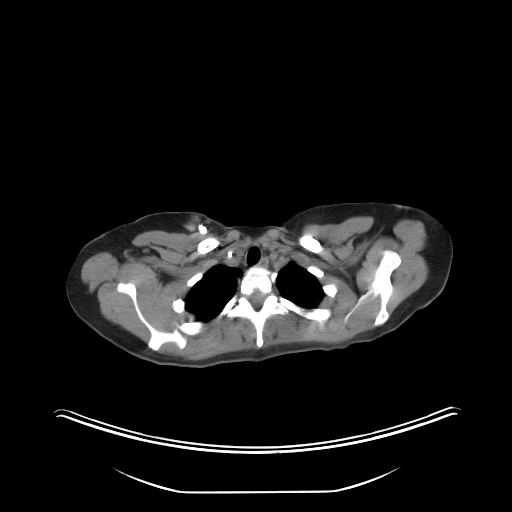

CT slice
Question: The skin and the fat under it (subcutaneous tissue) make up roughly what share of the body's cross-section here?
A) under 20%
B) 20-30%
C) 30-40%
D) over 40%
Answer: B) 20-30%
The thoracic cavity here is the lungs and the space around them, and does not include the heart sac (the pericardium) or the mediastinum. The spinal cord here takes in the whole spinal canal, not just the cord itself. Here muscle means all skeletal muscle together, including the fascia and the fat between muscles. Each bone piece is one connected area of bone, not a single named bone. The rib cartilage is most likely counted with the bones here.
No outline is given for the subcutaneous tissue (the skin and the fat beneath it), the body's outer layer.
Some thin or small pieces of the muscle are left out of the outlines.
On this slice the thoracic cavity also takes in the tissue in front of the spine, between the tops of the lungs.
The left arm is outlined by (386, 202) (388, 203) (397, 203) (398, 204) (403, 204) (404, 205) (411, 205) (412, 206) (419, 207) (435, 217) (445, 226) (450, 233) (453, 242) (453, 250) (441, 254) (425, 254) (424, 253) (415, 251) (402, 243) (394, 235) (389, 226) (389, 223) (385, 211) (385, 205). The torso is outlined by (362, 201) (385, 202) (391, 232) (409, 249) (425, 255) (453, 251) (441, 293) (397, 329) (370, 342) (341, 350) (205, 368) (158, 365) (104, 339) (78, 318) (66, 296) (69, 269) (89, 240) (150, 213) (194, 210) (226, 225) (278, 225) (291, 214) (314, 205). The muscle is outlined by (353, 216) (372, 216) (371, 230) (380, 232) (401, 219) (420, 220) (429, 275) (390, 316) (391, 275) (402, 258) (382, 250) (366, 291) (343, 317) (346, 323) (363, 303) (378, 297) (376, 327) (341, 343) (282, 344) (257, 350) (228, 352) (201, 360) (157, 351) (166, 343) (182, 350) (186, 336) (200, 333) (213, 318) (248, 320) (254, 328) (255, 345) (258, 349) (260, 349) (264, 344) (266, 321) (274, 315) (293, 312) (323, 326) (332, 310) (318, 304) (325, 295) (333, 298) (338, 287) (321, 284) (321, 268) (304, 267) (279, 247) (232, 247) (204, 273) (189, 277) (185, 297) (175, 298) (171, 308) (192, 314) (170, 331) (146, 319) (133, 282) (119, 281) (116, 290) (131, 299) (149, 332) (146, 344) (105, 319) (81, 283) (86, 259) (106, 251) (119, 260) (144, 231) (235, 229) (257, 236), around holes outlined by (303, 233) (309, 233) (315, 239) (316, 239) (320, 243) (320, 244) (322, 246) (322, 250) (319, 253) (316, 253) (315, 252) (313, 252) (312, 251) (310, 251) (309, 250) (308, 250) (307, 249) (304, 248) (301, 245) (300, 245) (299, 244) (299, 243) (298, 242) (298, 238) and by (215, 238) (217, 238) (219, 241) (219, 244) (215, 248) (203, 254) (201, 253) (199, 253) (198, 252) (197, 250) (197, 246) (198, 244) (201, 241) (203, 241) (204, 240) (207, 240) (208, 239) (214, 239). The bones appear in 9 outlined pieces: piece 1: (252, 266) (260, 266) (277, 273) (273, 286) (281, 296) (307, 309) (329, 308) (331, 315) (320, 325) (293, 311) (284, 315) (274, 314) (265, 321) (262, 331) (263, 344) (258, 348) (255, 328) (248, 319) (231, 319) (223, 316) (214, 320) (238, 290) (238, 280) (244, 271) with a hole at (256, 290) (257, 291) (258, 291) (259, 292) (260, 292) (264, 296) (264, 299) (263, 300) (263, 302) (262, 303) (262, 305) (258, 309) (255, 309) (253, 307) (253, 306) (251, 304) (251, 303) (250, 302) (250, 301) (249, 300) (249, 299) (248, 298); piece 2: (384, 250) (392, 250) (401, 258) (400, 264) (390, 275) (393, 292) (386, 304) (389, 314) (388, 319) (379, 326) (374, 325) (375, 317) (380, 308) (380, 298) (377, 296) (363, 302) (344, 322) (346, 314) (353, 308) (360, 296) (367, 291) (374, 271) (382, 257) (382, 251); piece 3: (119, 282) (131, 282) (135, 285) (140, 311) (156, 329) (170, 332) (177, 324) (187, 321) (193, 315) (195, 320) (204, 322) (202, 330) (186, 335) (186, 345) (182, 349) (174, 342) (166, 342) (156, 351) (151, 349) (147, 345) (150, 332) (138, 317) (132, 299) (117, 290); piece 4: (303, 233) (309, 233) (315, 239) (316, 239) (320, 243) (320, 244) (322, 246) (322, 250) (319, 253) (316, 253) (315, 252) (313, 252) (312, 251) (310, 251) (309, 250) (308, 250) (307, 249) (304, 248) (301, 245) (300, 245) (299, 244) (299, 243) (298, 242) (298, 238); piece 5: (215, 238) (217, 238) (219, 241) (219, 244) (215, 248) (203, 254) (201, 253) (199, 253) (198, 252) (197, 250) (197, 246) (198, 244) (201, 241) (203, 241) (204, 240) (207, 240) (208, 239) (214, 239); piece 6: (328, 283) (332, 283) (333, 284) (334, 284) (337, 287) (337, 291) (336, 292) (336, 293) (335, 294) (335, 295) (333, 297) (330, 297) (329, 296) (328, 296) (327, 295) (326, 295) (324, 293) (324, 292) (323, 291) (323, 290) (322, 289) (322, 285) (323, 284) (327, 284); piece 7: (177, 298) (180, 298) (181, 299) (182, 299) (184, 301) (184, 303) (185, 304) (184, 305) (184, 307) (185, 308) (185, 312) (184, 312) (183, 313) (178, 313) (177, 312) (176, 312) (175, 311) (174, 311) (173, 310) (173, 309) (172, 308) (172, 302) (175, 299) (176, 299); piece 8: (308, 266) (315, 266) (316, 267) (317, 267) (318, 268) (321, 269) (323, 271) (323, 273) (324, 274) (323, 275) (323, 277) (320, 280) (320, 281) (319, 281) (318, 280) (318, 279) (314, 275) (313, 275) (310, 272) (309, 272) (307, 270) (307, 269) (306, 268); piece 9: (198, 272) (202, 272) (203, 273) (203, 274) (202, 275) (202, 277) (198, 281) (197, 281) (190, 288) (189, 288) (186, 285) (186, 282) (187, 281) (187, 280) (189, 278) (190, 278) (193, 275) (194, 275) (196, 273) (197, 273). The thoracic cavity is outlined by (253, 244) (279, 248) (287, 255) (288, 260) (294, 261) (314, 276) (324, 294) (317, 306) (307, 308) (281, 295) (274, 286) (278, 273) (260, 265) (252, 265) (243, 271) (237, 280) (237, 290) (214, 317) (207, 321) (195, 319) (185, 307) (184, 299) (189, 290) (228, 250). The spinal cord is outlined by (256, 290) (257, 291) (258, 291) (259, 292) (260, 292) (264, 296) (264, 299) (263, 300) (263, 302) (262, 303) (262, 305) (258, 309) (255, 309) (253, 307) (253, 306) (251, 304) (251, 303) (250, 302) (250, 301) (249, 300) (249, 299) (248, 298).